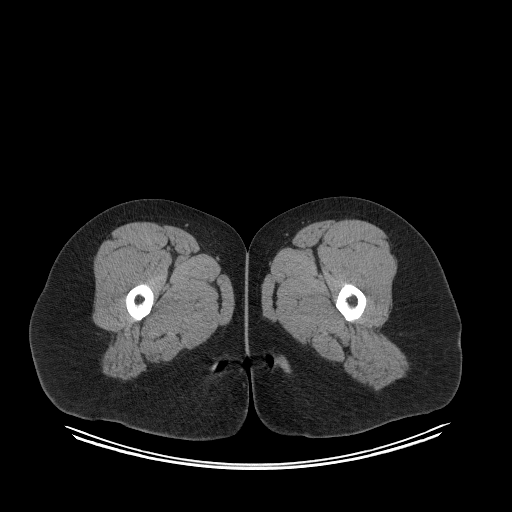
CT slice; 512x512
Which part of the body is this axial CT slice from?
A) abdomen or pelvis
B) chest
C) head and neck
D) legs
D) legs
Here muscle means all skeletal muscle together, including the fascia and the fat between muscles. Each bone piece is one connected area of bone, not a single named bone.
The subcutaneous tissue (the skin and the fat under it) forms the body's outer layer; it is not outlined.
Outlines (x, y in pixels):
right leg: [[139,198],[169,199],[218,217],[237,231],[246,248],[247,357],[243,367],[249,378],[250,397],[247,417],[240,430],[230,437],[208,441],[176,439],[116,422],[83,419],[54,406],[39,383],[29,346],[28,326],[35,302],[57,254],[92,217],[113,205]]
bones 1: [[345,283],[351,283],[353,284],[355,286],[359,288],[363,292],[363,293],[366,297],[366,305],[362,314],[360,316],[360,317],[353,321],[348,321],[346,320],[343,316],[343,315],[337,309],[335,305],[335,301],[336,300],[338,292],[341,288],[341,287]]
bones 2: [[141,283],[145,283],[150,287],[153,292],[153,298],[154,300],[153,301],[153,304],[152,305],[152,307],[151,308],[150,312],[142,319],[138,321],[136,321],[134,320],[129,314],[126,308],[126,304],[125,303],[125,297],[126,296],[126,294],[131,288]]
left leg: [[338,195],[361,197],[390,208],[406,219],[432,247],[443,268],[461,319],[461,379],[451,401],[426,414],[405,417],[345,436],[312,438],[282,435],[269,430],[260,421],[250,396],[251,364],[248,357],[246,320],[247,248],[259,228],[280,213],[311,200]]
muscle 1: [[346,218],[365,220],[382,229],[388,237],[390,251],[397,259],[397,271],[392,282],[392,309],[382,330],[404,352],[411,369],[405,377],[379,391],[370,390],[342,369],[307,351],[277,322],[262,314],[261,286],[276,253],[289,245],[302,227],[316,221]] with a hole at [[345,283],[351,283],[353,284],[355,286],[359,288],[363,292],[363,293],[366,297],[366,305],[362,314],[360,316],[360,317],[353,321],[348,321],[346,320],[343,316],[343,315],[337,309],[335,305],[335,301],[336,300],[338,292],[341,288],[341,287]]
muscle 2: [[134,221],[173,225],[193,235],[201,251],[210,254],[229,277],[234,294],[234,309],[229,323],[222,326],[211,340],[171,365],[133,380],[121,381],[100,371],[100,358],[106,344],[102,334],[104,331],[91,318],[95,291],[93,259],[100,244],[112,230]]; inner edge: [[141,283],[145,283],[150,287],[153,292],[153,298],[154,300],[153,301],[153,304],[152,305],[152,307],[151,308],[150,312],[142,319],[138,321],[136,321],[134,320],[129,314],[126,308],[126,304],[125,303],[125,297],[126,296],[126,294],[131,288]]